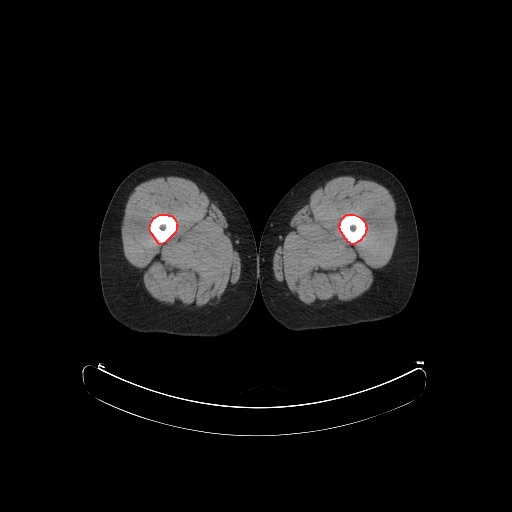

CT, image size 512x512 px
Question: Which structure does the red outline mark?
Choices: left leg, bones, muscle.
Answer: red: bones.
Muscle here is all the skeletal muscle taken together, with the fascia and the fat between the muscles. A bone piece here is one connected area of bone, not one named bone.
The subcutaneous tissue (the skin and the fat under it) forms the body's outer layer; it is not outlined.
The bones appear in 2 outlined pieces: piece 1: (346, 214) (354, 214) (360, 217) (364, 221) (365, 225) (366, 226) (366, 230) (365, 231) (364, 235) (359, 241) (358, 241) (354, 244) (352, 244) (347, 241) (347, 240) (344, 237) (344, 236) (340, 231) (340, 229) (339, 228) (339, 225) (340, 224) (340, 222) (342, 218); piece 2: (159, 214) (167, 214) (168, 215) (171, 215) (174, 218) (177, 224) (176, 225) (176, 230) (175, 232) (165, 242) (161, 244) (159, 244) (157, 242) (157, 241) (155, 239) (155, 238) (153, 236) (153, 235) (151, 233) (149, 229) (151, 221) (154, 217) (155, 217). The left leg is outlined by (340, 160) (363, 160) (377, 164) (391, 172) (404, 187) (411, 203) (419, 238) (419, 264) (414, 288) (405, 308) (393, 317) (350, 326) (306, 331) (290, 330) (274, 319) (263, 301) (259, 287) (257, 247) (259, 247) (261, 235) (269, 216) (283, 196) (299, 180) (313, 170). The right leg is outlined by (157, 160) (179, 160) (207, 170) (233, 194) (251, 226) (256, 245) (258, 270) (258, 286) (255, 297) (248, 313) (237, 327) (220, 337) (187, 337) (172, 334) (136, 332) (118, 322) (111, 315) (104, 302) (99, 276) (98, 246) (105, 212) (113, 194) (123, 179) (136, 168). The muscle appears in 2 outlined pieces: piece 1: (342, 175) (362, 176) (388, 189) (395, 202) (398, 220) (396, 243) (391, 259) (374, 278) (370, 288) (361, 296) (350, 302) (341, 304) (310, 307) (287, 292) (287, 290) (277, 281) (273, 271) (273, 257) (276, 246) (283, 238) (291, 218) (302, 207) (307, 197) (330, 179) with a hole at (346, 214) (354, 214) (360, 217) (364, 221) (365, 225) (366, 226) (366, 230) (365, 231) (364, 235) (359, 241) (358, 241) (354, 244) (352, 244) (347, 241) (347, 240) (344, 237) (344, 236) (340, 231) (340, 229) (339, 228) (339, 225) (340, 224) (340, 222) (342, 218); piece 2: (171, 175) (190, 179) (216, 204) (226, 219) (232, 241) (240, 259) (240, 274) (237, 282) (223, 294) (218, 302) (213, 305) (208, 305) (202, 310) (190, 311) (161, 305) (145, 289) (136, 271) (132, 268) (123, 254) (121, 225) (129, 195) (134, 188) (143, 181) (159, 176); inner edge: (159, 214) (167, 214) (168, 215) (171, 215) (174, 218) (177, 224) (176, 225) (176, 230) (175, 232) (165, 242) (161, 244) (159, 244) (157, 242) (157, 241) (155, 239) (155, 238) (153, 236) (153, 235) (151, 233) (149, 229) (151, 221) (154, 217) (155, 217).